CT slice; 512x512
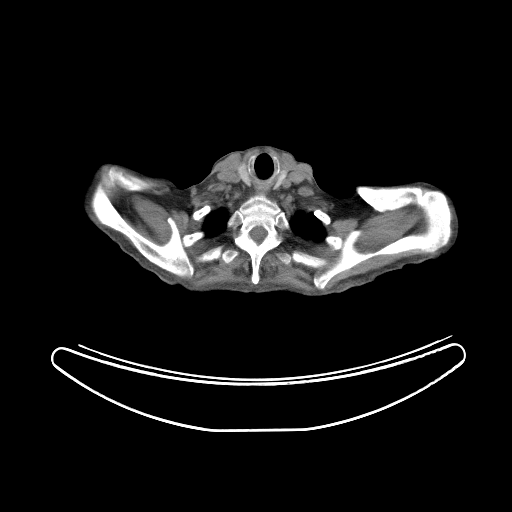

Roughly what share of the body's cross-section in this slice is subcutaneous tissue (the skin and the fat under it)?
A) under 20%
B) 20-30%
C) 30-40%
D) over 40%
A) under 20%
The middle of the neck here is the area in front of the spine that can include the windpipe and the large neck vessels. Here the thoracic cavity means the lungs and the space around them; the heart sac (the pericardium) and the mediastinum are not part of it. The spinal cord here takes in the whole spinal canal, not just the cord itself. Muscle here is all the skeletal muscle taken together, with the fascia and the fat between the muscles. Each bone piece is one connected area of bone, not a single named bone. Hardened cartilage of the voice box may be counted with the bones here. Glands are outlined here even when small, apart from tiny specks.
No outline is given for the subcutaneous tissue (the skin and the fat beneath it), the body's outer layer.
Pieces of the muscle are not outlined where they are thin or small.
The bones appear in 7 outlined pieces: piece 1: 358 185; 443 192; 451 213; 450 238; 433 252; 407 250; 373 256; 334 276; 320 290; 314 276; 340 254; 325 242; 327 235; 344 239; 351 231; 361 230; 354 246; 359 252; 374 252; 424 227; 423 211; 417 205; 377 211; 356 192; piece 2: 111 165; 151 184; 139 191; 118 184; 107 189; 110 201; 121 216; 141 235; 156 244; 165 243; 171 235; 169 217; 182 236; 204 232; 201 239; 184 248; 193 265; 190 277; 178 276; 152 263; 124 234; 97 221; 90 198; 101 174; piece 3: 257 193; 264 194; 274 203; 277 203; 286 214; 290 224; 290 230; 283 231; 283 241; 262 256; 258 270; 259 281; 254 284; 251 281; 251 258; 246 251; 238 248; 234 244; 231 235; 232 232; 226 228; 226 222; 234 210; 249 197, around a hole outlined by 255 227; 261 227; 262 228; 263 228; 265 230; 265 231; 266 232; 266 234; 265 235; 265 236; 262 239; 262 240; 260 242; 257 242; 256 241; 255 241; 250 236; 250 232; 252 230; 252 229; 253 229; piece 4: 293 250; 298 250; 299 251; 307 253; 310 255; 313 255; 314 256; 324 258; 326 259; 327 263; 324 266; 319 267; 318 268; 310 267; 302 263; 296 262; 293 260; 288 264; 285 264; 279 259; 277 254; 280 252; 288 252; 289 253; piece 5: 219 245; 223 245; 225 248; 227 248; 228 247; 232 247; 233 248; 237 249; 239 253; 229 263; 226 263; 224 262; 224 261; 221 258; 214 259; 213 260; 207 261; 206 262; 202 262; 201 261; 197 260; 197 257; 199 255; piece 6: 206 205; 208 205; 211 207; 211 209; 210 210; 210 211; 207 214; 206 214; 202 219; 201 219; 200 220; 196 220; 195 219; 194 219; 192 217; 192 215; 193 214; 193 213; 196 210; 198 210; 200 208; 201 208; 202 207; 203 207; piece 7: 317 209; 319 209; 320 210; 321 210; 323 212; 326 213; 329 216; 329 217; 330 218; 330 222; 328 224; 327 224; 326 225; 324 225; 322 223; 322 222; 318 218; 317 218; 315 216; 315 215; 313 213; 313 212; 315 210; 316 210. The torso is outlined by 263 143; 308 162; 317 184; 338 197; 351 195; 360 184; 425 181; 440 187; 457 209; 455 244; 437 259; 407 264; 321 297; 284 291; 194 293; 164 283; 86 216; 83 195; 96 168; 102 162; 117 162; 185 188; 201 181; 220 156. The spinal cord is outlined by 255 227; 261 227; 262 228; 263 228; 265 230; 265 231; 266 232; 266 234; 265 235; 265 236; 262 239; 262 240; 260 242; 257 242; 256 241; 255 241; 250 236; 250 232; 252 230; 252 229; 253 229. The thyroid glands appear in 2 outlined pieces: piece 1: 243 162; 244 162; 244 163; 246 165; 246 169; 248 172; 248 175; 251 180; 251 185; 250 186; 249 186; 248 185; 246 185; 242 181; 242 180; 240 178; 240 177; 237 172; 237 170; 236 169; 237 166; piece 2: 282 162; 285 163; 288 167; 288 171; 287 172; 287 175; 286 177; 283 180; 283 183; 278 188; 276 188; 274 189; 273 187; 274 186; 274 184; 275 183; 276 178; 278 174; 281 171; 281 164. The muscle appears in 5 outlined pieces: piece 1: 263 146; 287 153; 296 162; 307 165; 315 189; 327 200; 345 201; 356 193; 377 212; 415 205; 422 211; 422 229; 374 251; 359 251; 355 244; 363 233; 361 229; 351 230; 344 238; 327 234; 324 226; 331 222; 331 218; 319 208; 306 211; 299 207; 287 215; 277 202; 300 185; 305 174; 289 170; 277 155; 260 149; 225 175; 225 181; 246 199; 238 207; 231 213; 224 206; 212 209; 206 204; 191 215; 196 221; 203 219; 201 230; 182 235; 169 216; 166 218; 170 228; 168 239; 161 244; 154 242; 122 216; 108 195; 108 189; 116 185; 139 192; 152 184; 119 167; 188 192; 201 188; 216 164; 230 154; 242 154; piece 2: 227 230; 231 232; 233 244; 246 252; 250 258; 250 281; 254 285; 260 281; 259 270; 263 256; 284 241; 283 232; 291 231; 302 239; 316 243; 324 241; 333 250; 339 251; 339 254; 331 265; 313 276; 312 282; 319 290; 315 291; 304 291; 284 284; 249 286; 228 282; 194 287; 186 281; 176 279; 168 272; 181 278; 190 278; 194 274; 194 265; 185 248; 202 239; 207 241; 216 238 with holes at 293 250; 298 250; 299 251; 307 253; 310 255; 313 255; 314 256; 324 258; 326 259; 327 263; 324 266; 319 267; 318 268; 310 267; 302 263; 296 262; 293 260; 288 264; 285 264; 279 259; 277 254; 280 252; 288 252; 289 253 and at 219 245; 223 245; 225 248; 227 248; 228 247; 232 247; 233 248; 237 249; 239 253; 229 263; 226 263; 224 262; 224 261; 221 258; 214 259; 213 260; 207 261; 206 262; 202 262; 201 261; 197 260; 197 257; 199 255; piece 3: 407 251; 430 253; 427 253; 426 254; 416 254; 415 255; 400 258; 392 263; 390 263; 382 267; 344 279; 329 289; 322 290; 325 288; 327 284; 334 277; 352 269; 368 259; 380 255; 392 255; 393 254; 397 254; piece 4: 106 165; 110 165; 100 174; 99 179; 95 183; 91 191; 90 197; 89 198; 89 207; 96 221; 90 215; 87 209; 87 199; 88 198; 88 195; 90 192; 90 190; 92 186; 94 184; 94 182; 96 179; 96 176; 98 172; 102 167; piece 5: 115 231; 117 231; 118 232; 119 232; 120 233; 121 233; 123 235; 124 235; 131 242; 131 243; 132 244; 132 245; 133 246; 132 246; 129 243; 128 243; 128 242; 120 234; 119 234; 117 232; 116 232. The thoracic cavity appears in 2 outlined pieces: piece 1: 299 208; 300 209; 304 210; 306 212; 312 212; 314 216; 321 222; 321 223; 324 227; 324 229; 326 233; 326 235; 324 237; 323 240; 316 242; 310 239; 305 239; 295 234; 291 230; 291 224; 287 216; 290 216; 296 209; 298 209; piece 2: 219 207; 224 207; 226 208; 230 213; 229 216; 225 222; 225 228; 226 230; 216 237; 212 237; 207 240; 205 240; 203 238; 205 235; 205 232; 202 230; 203 223; 204 222; 204 218; 205 216; 211 211; 211 210; 213 210. The middle of the neck is outlined by 260 150; 266 150; 274 154; 281 162; 280 171; 272 187; 274 190; 284 183; 289 171; 299 171; 304 174; 303 181; 279 201; 274 202; 261 192; 245 198; 226 181; 226 175; 235 169; 241 181; 250 187; 252 180; 245 162; 250 155.